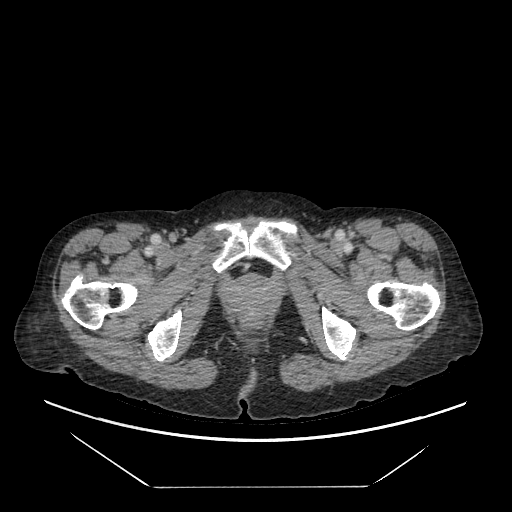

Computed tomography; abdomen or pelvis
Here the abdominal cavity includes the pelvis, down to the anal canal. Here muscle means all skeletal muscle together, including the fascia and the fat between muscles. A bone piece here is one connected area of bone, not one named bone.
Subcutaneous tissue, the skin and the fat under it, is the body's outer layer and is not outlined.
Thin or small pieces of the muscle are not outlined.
The abdominal cavity is outlined by [[243,258],[248,258],[249,259],[258,258],[267,262],[272,266],[274,271],[277,273],[277,275],[279,277],[279,291],[277,300],[262,334],[255,347],[249,347],[237,333],[225,306],[222,293],[222,287],[224,278],[226,277],[225,276],[226,271],[236,262]]. The torso is outlined by [[232,189],[289,192],[325,209],[397,207],[430,217],[451,238],[478,301],[483,333],[477,349],[378,399],[311,417],[264,420],[252,419],[242,399],[235,420],[193,416],[100,389],[72,371],[26,365],[14,325],[41,253],[60,228],[95,212],[187,209]]. The bones appear in 5 outlined pieces: piece 1: [[263,219],[289,220],[296,224],[296,236],[282,234],[286,249],[295,254],[291,257],[291,264],[284,271],[275,271],[270,263],[261,258],[243,257],[225,273],[218,273],[212,262],[230,233],[225,229],[214,230],[208,225],[225,220],[238,221],[250,233]]; piece 2: [[79,273],[83,275],[84,282],[95,280],[111,283],[130,282],[135,285],[138,289],[137,298],[135,302],[127,309],[120,312],[112,312],[107,314],[104,317],[102,326],[100,328],[95,330],[86,328],[78,323],[69,314],[61,302],[61,298],[72,279]]; piece 3: [[393,280],[413,284],[421,284],[424,281],[429,282],[438,291],[440,299],[439,306],[435,312],[434,316],[424,324],[411,330],[402,330],[397,328],[394,324],[395,322],[394,319],[390,315],[376,309],[369,302],[366,295],[367,288],[374,282],[392,281]]; piece 4: [[323,305],[333,312],[335,312],[339,316],[343,317],[346,319],[356,330],[355,337],[352,342],[352,346],[350,351],[347,355],[347,359],[346,360],[340,360],[336,355],[333,354],[328,349],[326,345],[324,335],[323,334],[322,320],[321,319],[321,308]]; piece 5: [[176,307],[179,307],[181,309],[181,316],[182,317],[182,322],[180,328],[178,344],[175,351],[169,357],[166,358],[163,361],[158,361],[154,358],[152,350],[147,340],[147,334],[158,320],[170,316],[174,312]]. The muscle is outlined by [[250,215],[297,221],[342,264],[359,253],[358,220],[418,224],[438,246],[445,279],[434,333],[377,374],[304,392],[278,372],[313,348],[293,302],[284,300],[261,349],[249,353],[238,344],[214,299],[186,352],[216,364],[207,387],[169,390],[97,364],[52,297],[73,235],[138,223],[151,260],[205,226],[227,231],[211,267],[225,274],[221,293],[236,333],[249,348],[250,348],[255,348],[263,334],[263,332],[279,297],[277,270],[296,254],[283,234],[296,237],[298,226],[263,218],[249,232],[230,219]] with holes at [[79,273],[83,275],[84,282],[95,280],[111,283],[130,282],[135,285],[138,289],[137,298],[135,302],[127,309],[120,312],[112,312],[107,314],[104,317],[102,326],[100,328],[95,330],[86,328],[78,323],[69,314],[61,302],[61,298],[72,279]] and at [[393,280],[413,284],[421,284],[424,281],[429,282],[438,291],[440,299],[439,306],[435,312],[434,316],[424,324],[411,330],[402,330],[397,328],[394,324],[395,322],[394,319],[390,315],[376,309],[369,302],[366,295],[367,288],[374,282],[392,281]] and at [[323,305],[333,312],[335,312],[339,316],[343,317],[346,319],[356,330],[355,337],[352,342],[352,346],[350,351],[347,355],[347,359],[346,360],[340,360],[336,355],[333,354],[328,349],[326,345],[324,335],[323,334],[322,320],[321,319],[321,308]] and at [[176,307],[179,307],[181,309],[181,316],[182,317],[182,322],[180,328],[178,344],[175,351],[169,357],[166,358],[163,361],[158,361],[154,358],[152,350],[147,340],[147,334],[158,320],[170,316],[174,312]].